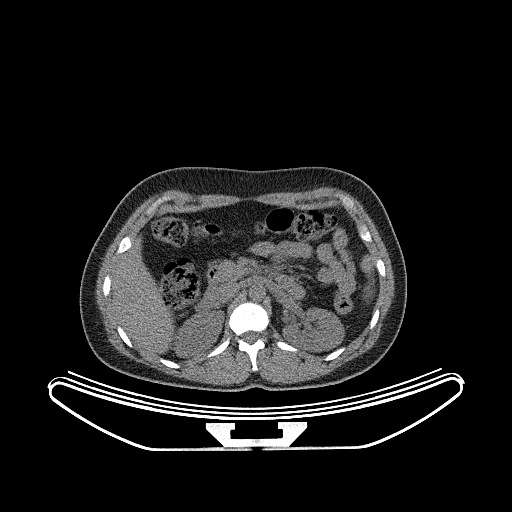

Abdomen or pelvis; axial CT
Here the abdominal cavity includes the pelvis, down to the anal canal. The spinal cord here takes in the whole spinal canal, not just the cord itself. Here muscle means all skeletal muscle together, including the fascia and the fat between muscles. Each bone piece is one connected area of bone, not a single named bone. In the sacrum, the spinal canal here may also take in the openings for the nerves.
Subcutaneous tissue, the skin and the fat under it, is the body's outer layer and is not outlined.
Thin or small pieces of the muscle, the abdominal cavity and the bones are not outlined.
{"abdominal_cavity":[[[244,201],[295,210],[343,207],[348,212],[379,275],[378,293],[367,325],[345,345],[318,355],[284,341],[270,325],[266,309],[247,300],[229,314],[229,329],[223,341],[203,355],[176,362],[140,349],[120,325],[110,293],[122,253],[157,216]]],"torso":[[[180,166],[246,170],[326,166],[349,172],[369,185],[390,219],[407,274],[403,320],[383,357],[368,370],[336,384],[291,390],[252,387],[241,391],[164,385],[118,372],[99,360],[87,342],[79,310],[80,282],[90,250],[113,210],[132,187],[156,172]]],"bones":[{"outer":[[247,301],[260,304],[265,309],[269,319],[267,327],[262,334],[265,339],[265,346],[259,349],[256,355],[256,364],[258,368],[256,371],[252,370],[252,364],[248,354],[238,348],[235,335],[228,323],[229,316],[234,308],[239,304]],"hole":[[247,331],[254,331],[255,332],[257,332],[258,333],[259,333],[259,337],[253,343],[248,343],[247,342],[246,342],[244,340],[243,340],[241,338],[241,336],[245,332],[246,332]]},[[127,235],[130,236],[132,238],[132,239],[133,240],[131,246],[127,250],[126,250],[121,253],[119,253],[118,254],[117,253],[116,253],[116,250],[118,247],[118,244],[119,243],[119,242],[122,239],[122,238],[123,238],[125,236],[126,236]],[[336,193],[341,193],[344,195],[346,195],[347,196],[348,196],[351,199],[352,199],[353,200],[353,202],[354,203],[354,205],[356,208],[356,210],[355,211],[354,211],[349,208],[346,208],[342,204],[342,203],[341,202],[340,199],[336,195]],[[228,337],[230,338],[230,342],[229,344],[226,347],[226,348],[223,351],[222,351],[220,353],[216,355],[214,355],[210,357],[206,357],[205,356],[214,348],[215,348],[218,345],[219,345],[222,342],[223,342]],[[361,223],[363,223],[366,225],[366,226],[367,227],[368,230],[370,232],[370,234],[371,235],[371,237],[372,238],[372,241],[371,241],[370,242],[369,242],[368,241],[364,241],[360,237],[360,235],[359,234],[359,230],[358,229],[358,225],[359,225]],[[162,196],[167,196],[168,197],[168,199],[167,200],[165,200],[163,201],[156,208],[156,209],[153,212],[153,213],[151,213],[150,214],[146,214],[145,212],[147,208],[149,206],[150,206],[151,204],[154,201],[155,201],[158,198]],[[107,274],[110,275],[110,276],[111,277],[111,283],[110,284],[110,289],[109,290],[109,293],[108,294],[108,295],[107,296],[104,296],[103,295],[103,292],[102,291],[102,286],[103,285],[103,282],[104,281],[104,278],[105,277],[105,276]],[[342,346],[344,346],[345,347],[345,349],[337,357],[336,357],[333,359],[331,359],[330,360],[325,360],[324,359],[324,358],[326,356],[326,355],[327,355],[328,354],[329,354],[334,350],[335,350],[336,349],[337,349],[338,348],[339,348]],[[119,325],[123,329],[123,330],[125,332],[125,333],[126,334],[126,335],[128,337],[128,338],[130,340],[130,341],[132,344],[132,347],[129,347],[124,342],[124,341],[121,338],[121,337],[119,335],[119,333],[117,330],[117,327]],[[277,341],[283,341],[284,342],[287,343],[289,345],[290,345],[291,346],[293,346],[294,347],[297,348],[298,349],[298,351],[295,352],[294,351],[290,351],[289,350],[285,350],[284,349],[281,349],[276,344],[276,342]],[[377,308],[379,310],[379,316],[378,317],[378,319],[377,320],[377,321],[376,322],[376,323],[375,324],[374,327],[372,329],[371,329],[369,327],[369,322],[370,321],[370,320],[372,317],[372,314],[373,313],[374,310]],[[159,358],[163,358],[164,359],[167,359],[168,360],[170,360],[171,361],[173,361],[174,362],[175,362],[176,363],[177,363],[179,365],[179,368],[173,368],[172,367],[169,367],[168,366],[167,366],[166,365],[165,365],[163,363],[162,363],[159,360]]],"muscle":[{"outer":[[321,186],[331,186],[346,191],[362,204],[365,211],[373,221],[379,235],[385,245],[391,261],[394,280],[394,295],[392,298],[389,309],[382,322],[383,323],[381,327],[380,334],[373,346],[367,351],[359,356],[349,360],[331,372],[310,380],[295,383],[280,383],[279,382],[273,383],[262,378],[257,373],[252,373],[244,381],[240,383],[234,383],[228,385],[215,385],[180,378],[170,374],[167,374],[155,368],[149,367],[121,354],[108,341],[102,317],[96,302],[95,291],[98,272],[102,263],[103,257],[105,255],[108,247],[129,216],[144,200],[156,193],[170,189],[178,189],[198,195],[201,194],[225,194],[244,197],[245,196],[257,196],[261,194],[273,192],[305,191]],"holes":[[[336,193],[353,200],[356,210],[345,209],[357,227],[361,223],[366,225],[372,241],[364,243],[373,259],[380,258],[385,267],[385,276],[378,277],[373,309],[379,310],[379,316],[374,327],[371,329],[368,323],[337,357],[325,360],[325,354],[281,349],[276,342],[283,340],[269,323],[262,334],[265,346],[256,355],[256,371],[252,370],[248,354],[238,348],[230,328],[222,340],[230,338],[223,351],[210,357],[204,354],[178,361],[179,368],[173,368],[133,343],[129,347],[119,335],[120,322],[111,294],[103,295],[104,278],[107,274],[112,278],[114,275],[122,256],[116,253],[122,238],[128,235],[134,240],[150,219],[175,211],[196,212],[244,201],[295,210],[343,207]],[[162,196],[167,196],[168,197],[168,199],[167,200],[165,200],[163,201],[156,208],[156,209],[153,212],[153,213],[151,213],[150,214],[146,214],[145,212],[147,208],[149,206],[150,206],[151,204],[154,201],[155,201],[158,198]]]}],"spinal_cord":[[[247,331],[254,331],[255,332],[257,332],[258,333],[259,333],[259,337],[253,343],[248,343],[247,342],[246,342],[244,340],[243,340],[241,338],[241,336],[245,332],[246,332]]]}